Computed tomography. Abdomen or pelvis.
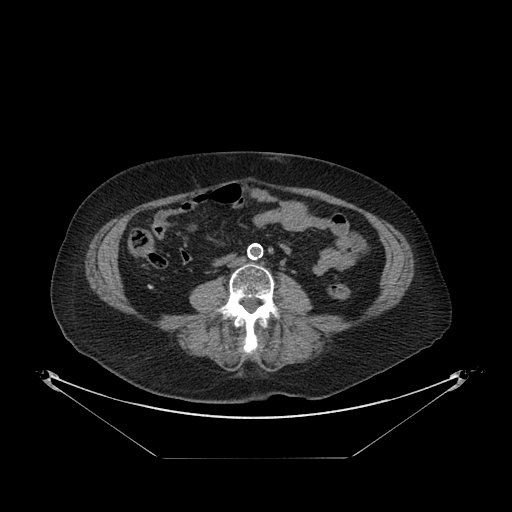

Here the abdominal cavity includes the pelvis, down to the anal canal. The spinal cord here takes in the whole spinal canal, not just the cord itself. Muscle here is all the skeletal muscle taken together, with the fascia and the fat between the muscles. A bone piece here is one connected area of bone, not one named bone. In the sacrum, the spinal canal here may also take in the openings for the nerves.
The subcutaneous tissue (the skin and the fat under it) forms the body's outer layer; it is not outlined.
{"torso":[[[227,150],[275,151],[329,160],[360,171],[397,193],[425,226],[450,292],[452,321],[442,337],[333,396],[307,400],[279,394],[243,404],[197,403],[155,395],[127,383],[78,352],[54,318],[49,287],[58,249],[79,204],[100,183],[132,165],[176,154]]],"muscle":[{"outer":[[248,176],[252,176],[269,183],[283,186],[304,187],[319,190],[352,203],[385,220],[401,232],[410,245],[413,253],[414,275],[408,291],[400,301],[393,308],[383,314],[334,337],[314,364],[297,372],[280,374],[272,371],[265,371],[253,362],[245,363],[242,369],[229,372],[209,369],[194,361],[179,347],[171,337],[159,329],[110,307],[92,290],[85,275],[85,256],[91,240],[98,230],[117,214],[145,202]],"hole":[[241,183],[363,215],[385,253],[371,304],[350,319],[310,314],[308,294],[279,272],[272,298],[279,317],[254,326],[251,353],[242,348],[245,327],[215,312],[229,296],[224,275],[190,291],[195,313],[153,319],[136,309],[118,265],[128,222],[142,210]]}],"spinal_cord":[[[244,298],[255,298],[256,299],[258,299],[261,302],[261,303],[255,309],[255,310],[254,311],[253,311],[252,312],[249,312],[243,306],[243,305],[242,304],[241,304],[241,303],[240,302],[240,301],[242,299],[243,299]]],"abdominal_cavity":[[[241,183],[363,215],[385,253],[379,293],[371,304],[350,319],[310,314],[312,302],[295,279],[279,272],[275,281],[266,267],[247,262],[227,284],[220,275],[194,287],[188,301],[195,313],[162,313],[153,319],[136,309],[118,265],[128,222],[142,210]]],"bones":[{"outer":[[247,263],[263,266],[271,273],[274,280],[272,298],[279,310],[279,317],[277,319],[271,316],[267,327],[264,328],[258,323],[254,326],[257,347],[251,353],[242,348],[245,327],[236,327],[230,318],[224,319],[221,313],[215,312],[228,299],[231,274]],"hole":[[244,298],[255,298],[256,299],[258,299],[261,302],[261,303],[255,309],[255,310],[254,311],[253,311],[252,312],[249,312],[243,306],[243,305],[242,304],[241,304],[241,303],[240,302],[240,301],[242,299],[243,299]]}]}